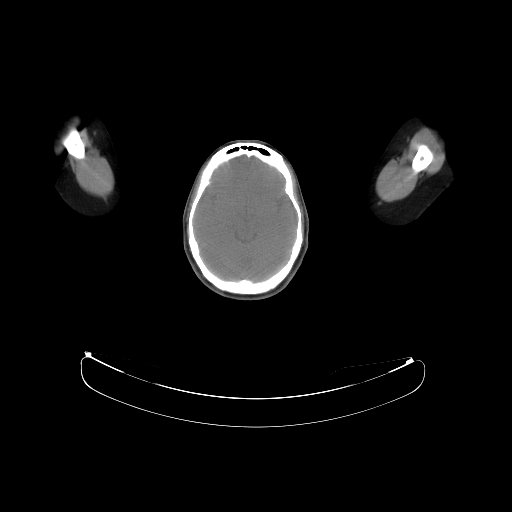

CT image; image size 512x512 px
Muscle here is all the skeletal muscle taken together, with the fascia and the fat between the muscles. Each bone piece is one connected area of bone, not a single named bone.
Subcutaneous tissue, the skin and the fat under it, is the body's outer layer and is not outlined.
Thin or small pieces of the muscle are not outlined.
The bones appear in 3 outlined pieces: piece 1: (237, 142) (254, 142) (263, 144) (282, 155) (291, 174) (293, 193) (301, 213) (303, 240) (298, 256) (290, 271) (273, 289) (257, 294) (232, 293) (221, 290) (213, 285) (200, 271) (191, 254) (188, 244) (188, 216) (196, 195) (201, 172) (210, 157) (215, 152) (227, 145) with a hole at (243, 155) (255, 157) (275, 169) (282, 176) (284, 180) (283, 191) (295, 212) (295, 234) (286, 261) (272, 274) (260, 280) (253, 280) (245, 277) (226, 279) (215, 273) (207, 265) (201, 255) (194, 230) (194, 217) (197, 206) (204, 191) (211, 183) (214, 171) (230, 160); piece 2: (72, 128) (76, 128) (80, 132) (80, 137) (84, 143) (84, 147) (85, 148) (85, 157) (84, 158) (82, 158) (81, 159) (78, 159) (77, 158) (75, 158) (72, 155) (69, 154) (66, 151) (66, 149) (64, 147) (64, 146) (62, 143) (62, 139) (63, 138) (63, 137); piece 3: (421, 143) (422, 144) (425, 144) (430, 149) (430, 150) (433, 154) (433, 159) (426, 168) (425, 168) (423, 170) (415, 174) (413, 172) (413, 170) (411, 167) (411, 163) (412, 162) (413, 157) (415, 155) (415, 153) (416, 152) (416, 145) (417, 144) (420, 144). The left arm is outlined by (422, 112) (432, 112) (445, 116) (457, 116) (461, 120) (465, 128) (465, 131) (463, 136) (463, 146) (462, 147) (460, 169) (457, 176) (451, 185) (415, 221) (402, 226) (388, 225) (381, 222) (374, 217) (368, 209) (365, 199) (366, 185) (374, 166) (397, 129) (409, 117). The muscle appears in 4 outlined pieces: piece 1: (423, 126) (428, 127) (433, 130) (436, 133) (438, 138) (443, 143) (443, 148) (446, 157) (442, 167) (439, 171) (428, 176) (423, 180) (406, 197) (392, 202) (382, 201) (377, 196) (375, 191) (375, 183) (380, 171) (391, 158) (399, 156) (402, 153) (406, 145) (407, 139), around a hole outlined by (421, 143) (422, 144) (425, 144) (430, 149) (430, 150) (433, 154) (433, 159) (426, 168) (425, 168) (423, 170) (415, 174) (413, 172) (413, 170) (411, 167) (411, 163) (412, 162) (413, 157) (415, 155) (415, 153) (416, 152) (416, 145) (417, 144) (420, 144); piece 2: (75, 118) (79, 118) (87, 122) (94, 135) (96, 146) (99, 149) (100, 153) (106, 158) (112, 170) (114, 177) (114, 189) (112, 193) (106, 199) (93, 196) (82, 190) (76, 182) (70, 168) (60, 159) (56, 152) (55, 148) (57, 141) (64, 131) (67, 124) with a hole at (72, 128) (76, 128) (80, 132) (80, 137) (84, 143) (84, 147) (85, 148) (85, 157) (84, 158) (82, 158) (81, 159) (78, 159) (77, 158) (75, 158) (72, 155) (69, 154) (66, 151) (66, 149) (64, 147) (64, 146) (62, 143) (62, 139) (63, 138) (63, 137); piece 3: (287, 163) (294, 175) (296, 181) (296, 184) (297, 185) (297, 190) (298, 191) (299, 198) (303, 208) (303, 212) (304, 213) (303, 214) (304, 215) (304, 231) (303, 232) (303, 235) (302, 213) (300, 209) (300, 206) (296, 199) (294, 193) (294, 184) (293, 183) (292, 174); piece 4: (199, 175) (199, 181) (196, 188) (195, 195) (192, 200) (192, 202) (190, 205) (190, 209) (188, 212) (188, 215) (187, 216) (187, 226) (186, 227) (186, 216) (187, 215) (187, 208) (189, 205) (189, 201) (191, 198) (191, 194) (193, 191) (193, 189) (195, 186) (196, 181). The head is outlined by (239, 138) (260, 139) (266, 141) (277, 148) (288, 158) (297, 174) (309, 217) (308, 247) (295, 277) (282, 291) (276, 295) (267, 299) (254, 301) (231, 300) (206, 289) (193, 272) (185, 255) (182, 243) (182, 213) (188, 192) (199, 167) (205, 158) (219, 145) (229, 140). The brain is outlined by (243, 155) (255, 157) (275, 169) (282, 176) (284, 180) (283, 191) (295, 212) (295, 234) (286, 261) (272, 274) (260, 280) (253, 280) (245, 277) (226, 279) (215, 273) (207, 265) (201, 255) (194, 230) (194, 217) (197, 206) (204, 191) (211, 183) (214, 171) (230, 160). The right arm is outlined by (65, 104) (81, 104) (92, 110) (101, 118) (111, 137) (121, 172) (122, 195) (117, 207) (106, 216) (100, 218) (89, 218) (82, 216) (70, 209) (58, 195) (44, 167) (40, 153) (40, 147) (38, 136) (36, 133) (36, 127) (39, 120) (50, 106) (58, 106).